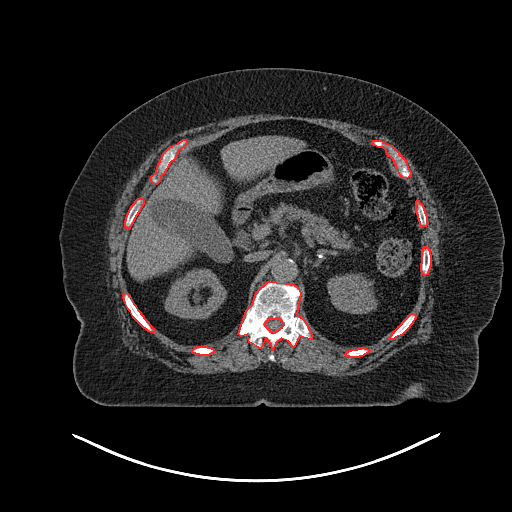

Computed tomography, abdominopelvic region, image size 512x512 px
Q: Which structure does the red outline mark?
A: red: bones.
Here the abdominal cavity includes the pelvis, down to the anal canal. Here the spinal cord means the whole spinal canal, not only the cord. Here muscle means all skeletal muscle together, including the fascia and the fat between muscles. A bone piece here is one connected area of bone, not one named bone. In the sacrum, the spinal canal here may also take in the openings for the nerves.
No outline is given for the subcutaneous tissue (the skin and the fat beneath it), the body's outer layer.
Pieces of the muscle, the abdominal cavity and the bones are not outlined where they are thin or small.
{"bones":[{"outer":[[268,281],[293,284],[297,287],[300,293],[296,314],[303,319],[312,335],[311,339],[299,336],[293,347],[288,341],[281,338],[275,343],[272,350],[271,344],[265,338],[260,348],[249,342],[247,334],[241,336],[238,334],[246,310],[252,304],[256,292]],"hole":[[269,317],[271,317],[272,318],[276,318],[277,317],[278,317],[281,320],[281,321],[283,323],[283,325],[281,327],[281,328],[280,328],[277,331],[276,331],[275,332],[271,332],[265,326],[265,325],[264,324],[265,323],[265,322],[268,319],[268,318]]},[[183,139],[185,139],[186,140],[186,143],[184,146],[177,151],[174,159],[170,162],[163,174],[160,176],[160,179],[159,181],[156,184],[153,183],[150,180],[150,178],[151,176],[156,172],[158,163],[160,161],[163,153],[170,146],[179,142]],[[373,140],[380,140],[385,143],[391,145],[405,160],[406,165],[410,172],[410,176],[406,178],[402,177],[400,175],[396,167],[396,165],[394,163],[394,161],[392,158],[388,155],[386,152],[386,150],[383,147],[378,147],[374,145],[372,143]],[[126,292],[129,295],[133,303],[135,305],[137,309],[140,312],[140,313],[143,316],[143,317],[154,329],[154,332],[150,332],[148,331],[145,328],[144,328],[133,317],[130,311],[128,309],[124,301],[124,299],[123,298],[123,294]],[[138,198],[142,198],[143,199],[143,204],[141,206],[139,211],[135,216],[135,217],[134,218],[134,219],[133,220],[131,225],[129,227],[129,228],[127,228],[125,226],[125,220],[126,219],[127,214],[128,213],[128,212],[129,211],[131,206]],[[411,313],[413,313],[415,315],[415,318],[412,322],[412,323],[409,326],[409,327],[402,334],[395,337],[393,339],[389,339],[389,337],[392,334],[392,333],[398,327],[398,326],[399,326],[402,323],[402,322],[408,316],[408,315],[409,315]],[[425,246],[426,247],[427,247],[429,250],[429,253],[430,254],[430,266],[429,267],[429,269],[428,270],[428,272],[427,273],[427,274],[424,275],[423,274],[422,274],[422,272],[421,271],[421,263],[422,262],[422,251],[423,250],[423,247],[424,247]],[[417,200],[418,200],[419,202],[422,205],[423,207],[423,209],[424,210],[424,212],[426,215],[426,220],[427,221],[427,223],[425,226],[421,226],[420,224],[420,222],[419,221],[419,219],[418,218],[418,215],[416,212],[416,201]],[[362,347],[364,347],[365,348],[368,349],[369,350],[369,351],[367,353],[366,353],[361,356],[359,356],[358,357],[350,357],[349,356],[347,356],[345,354],[346,353],[346,352],[347,352],[349,350],[351,350],[352,349],[357,349],[358,348],[361,348]],[[197,346],[206,346],[207,347],[210,347],[211,348],[212,348],[213,349],[213,352],[212,353],[211,353],[210,354],[209,354],[208,355],[200,355],[199,354],[196,354],[195,353],[193,353],[192,352],[192,349],[193,349],[195,347],[196,347]]],"spinal_cord":[[[269,317],[271,317],[272,318],[276,318],[277,317],[278,317],[281,320],[281,321],[283,323],[283,325],[281,327],[281,328],[280,328],[277,331],[276,331],[275,332],[271,332],[265,326],[265,325],[264,324],[265,323],[265,322],[268,319],[268,318]]],"torso":[[[262,67],[320,70],[384,86],[437,117],[475,158],[501,220],[503,274],[492,318],[478,337],[477,376],[463,397],[366,407],[264,403],[140,407],[102,405],[80,393],[72,371],[80,322],[64,292],[58,239],[73,182],[100,138],[142,103],[195,78]]],"muscle":[{"outer":[[258,113],[329,118],[353,123],[365,128],[377,130],[392,139],[399,146],[400,151],[402,153],[405,153],[411,159],[416,169],[421,173],[422,177],[425,180],[426,186],[430,190],[429,192],[434,201],[434,205],[437,209],[438,219],[441,223],[439,232],[439,237],[441,241],[438,246],[440,251],[440,262],[434,269],[433,278],[435,282],[433,284],[435,289],[433,294],[434,298],[434,304],[432,309],[433,313],[431,315],[433,331],[430,335],[428,342],[409,345],[391,356],[376,368],[357,375],[349,376],[325,375],[315,372],[293,372],[286,370],[277,365],[269,366],[265,364],[254,369],[242,372],[227,371],[213,374],[184,373],[175,371],[153,358],[149,358],[144,355],[133,353],[124,345],[121,339],[121,327],[116,312],[115,300],[112,296],[113,289],[111,286],[111,276],[108,269],[109,248],[107,243],[107,235],[111,217],[114,213],[115,204],[117,199],[121,195],[126,183],[131,177],[133,172],[139,167],[152,150],[156,149],[162,142],[170,136],[186,129],[200,126],[210,122],[216,122],[239,115]],"holes":[[[289,119],[329,128],[370,147],[373,140],[380,140],[405,160],[410,172],[404,179],[409,194],[426,215],[426,225],[419,225],[421,249],[427,247],[430,254],[428,272],[420,276],[410,312],[414,320],[393,339],[389,339],[390,332],[366,345],[369,351],[358,357],[347,356],[350,347],[317,332],[299,304],[296,314],[312,338],[299,336],[293,347],[282,338],[272,350],[265,338],[262,347],[257,347],[247,334],[238,334],[240,322],[204,345],[213,349],[208,355],[193,353],[196,345],[178,343],[156,329],[148,331],[133,317],[123,298],[128,290],[122,260],[130,229],[125,220],[134,202],[138,198],[145,202],[156,186],[150,178],[163,153],[185,139],[177,158],[235,128]],[[272,352],[273,353],[273,354],[274,355],[274,356],[274,357],[275,358],[275,359],[275,360],[275,361],[274,362],[273,362],[272,361],[271,361],[270,361],[269,360],[268,359],[268,358],[268,357],[268,356],[269,355],[270,354],[271,353]]]}],"abdominal_cavity":[[[289,119],[323,126],[383,150],[407,183],[415,200],[422,250],[418,295],[410,313],[378,341],[351,348],[334,343],[310,325],[295,284],[268,280],[227,334],[204,345],[176,342],[148,322],[128,293],[122,260],[130,227],[178,156],[235,128]]]}